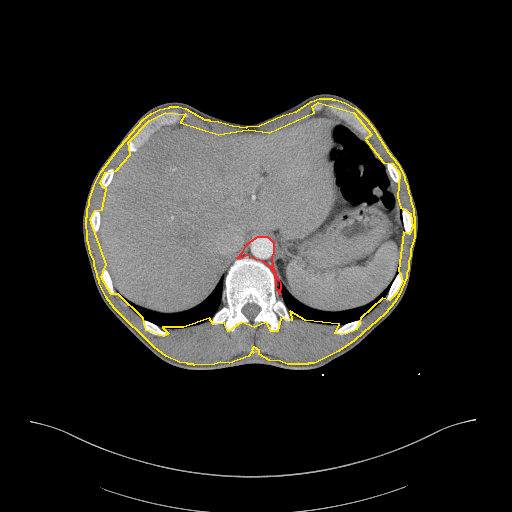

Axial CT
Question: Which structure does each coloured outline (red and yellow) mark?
Answer: red: mediastinum; yellow: muscle.
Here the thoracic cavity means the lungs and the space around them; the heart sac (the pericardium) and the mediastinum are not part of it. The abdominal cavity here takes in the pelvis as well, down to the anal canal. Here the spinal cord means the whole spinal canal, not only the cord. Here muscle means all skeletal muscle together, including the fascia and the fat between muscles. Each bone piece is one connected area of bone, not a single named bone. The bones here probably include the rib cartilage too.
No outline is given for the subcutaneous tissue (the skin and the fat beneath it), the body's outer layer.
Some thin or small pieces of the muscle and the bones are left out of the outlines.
The mediastinum is outlined by 258,236 267,236 273,242 273,252 271,256 272,266 271,267 274,270 275,272 275,276 276,277 278,279 280,283 280,289 279,290 280,294 276,287 276,279 275,278 275,275 273,271 269,266 263,261 255,259 247,255 240,258 237,258 243,251 246,245 250,241. The muscle is outlined by 319,98 331,98 332,99 335,99 344,102 355,108 366,119 373,128 388,152 397,163 404,176 404,179 407,186 408,193 410,197 410,200 413,209 413,215 414,216 414,237 410,249 410,255 408,261 408,268 406,273 406,277 399,294 394,302 385,313 354,340 338,351 314,363 308,363 307,364 287,364 280,361 269,360 259,354 259,350 254,347 253,347 251,350 253,352 251,352 248,356 229,363 220,362 214,364 194,365 193,364 188,364 187,363 179,362 166,356 154,347 114,308 106,297 99,283 99,280 97,277 97,274 94,265 94,261 90,252 88,242 87,241 86,217 87,216 87,209 89,204 89,200 94,185 101,171 120,146 143,119 151,113 159,109 169,107 170,106 178,106 185,108 204,119 208,119 209,120 218,121 232,125 246,127 247,126 259,125 282,115 296,111 311,101, around a hole outlined by 318,102 353,112 371,134 365,139 383,162 392,163 399,173 397,197 400,207 410,213 412,227 409,234 403,232 398,270 402,281 396,293 389,300 382,298 360,318 356,329 345,334 335,333 339,324 305,320 290,311 291,320 280,318 277,331 271,331 266,322 254,327 241,322 228,331 224,323 213,324 209,318 183,327 162,327 168,333 163,336 146,330 143,318 118,294 111,294 101,277 106,264 90,219 95,210 102,209 106,189 100,183 105,172 116,170 130,154 128,142 149,120 165,112 185,114 180,122 218,134 248,129 269,132 314,112 312,106. The thoracic cavity appears in 2 outlined pieces: piece 1: 221,280 223,283 223,287 221,292 221,304 219,308 210,318 200,323 183,327 161,327 140,316 122,298 140,308 143,308 151,312 155,312 159,314 178,314 188,310 191,310 196,306 201,304 214,291 216,286; piece 2: 281,286 285,289 287,293 292,298 300,304 310,308 312,310 328,313 347,312 361,308 371,303 387,288 388,289 385,296 367,313 360,318 351,320 340,325 309,321 296,316 289,311 286,306 281,296 280,290. The spinal cord is outlined by 247,303 254,303 255,304 256,304 257,305 258,305 260,307 260,310 259,311 259,312 252,319 249,319 242,312 242,308. The abdominal cavity is outlined by 311,112 337,116 359,132 395,183 404,231 399,269 389,287 355,309 312,309 281,285 272,267 274,242 258,235 223,282 191,309 159,313 118,294 98,231 104,192 124,158 165,125 187,122 218,134 269,132. The torso is outlined by 319,93 337,94 359,106 407,174 418,213 418,233 409,282 401,301 355,347 316,369 288,370 244,364 188,370 163,361 108,309 94,283 83,242 82,214 97,170 136,120 158,104 179,101 214,116 252,122. The bones appear in 11 outlined pieces: piece 1: 246,256 263,262 274,275 276,296 281,297 291,318 290,321 280,318 277,331 271,331 266,322 259,322 254,327 241,322 234,326 233,331 228,331 224,323 210,321 226,303 222,300 222,292 228,269 237,259; inner edge: 247,303 254,303 255,304 256,304 257,305 258,305 260,307 260,310 259,311 259,312 252,319 249,319 242,312 242,308; piece 2: 169,111 176,111 182,115 183,114 185,114 185,116 183,116 179,121 175,123 165,124 160,126 156,129 135,151 129,152 127,149 128,142 136,134 136,133 149,120 154,118 160,114 162,114 165,112 168,112; piece 3: 318,102 321,102 325,105 327,104 337,104 343,107 345,109 353,112 368,128 371,134 371,136 369,138 366,138 359,131 344,119 337,115 331,113 325,108 323,108 319,111 315,111 313,110 312,109 312,106; piece 4: 398,271 400,271 402,273 402,281 401,282 401,284 400,285 398,290 396,292 396,293 389,300 386,300 385,297 386,296 386,295 388,292 388,290 389,289 389,288 390,287 390,286 391,285 396,274 398,272; piece 5: 358,319 361,319 362,320 362,322 361,324 356,329 355,329 353,331 351,331 345,334 337,334 335,333 335,331 340,326 346,323 348,323 351,321 353,321 354,320 357,320; piece 6: 142,319 145,319 146,320 147,320 148,321 159,326 164,331 166,331 168,333 168,334 167,335 164,335 163,336 162,336 161,335 155,335 154,334 149,332 147,330 146,330 143,326 143,325 142,324; piece 7: 403,207 406,208 408,210 412,218 412,227 411,228 411,230 409,234 406,234 405,232 405,230 404,229 404,227 403,226 403,222 402,221 402,215 401,214 401,209; piece 8: 104,267 107,269 107,270 109,273 109,275 111,278 111,281 112,282 113,287 114,288 115,291 117,293 117,294 116,295 113,295 110,293 110,292 106,288 106,287 102,280 102,278 101,277 101,269; piece 9: 387,162 390,162 391,163 392,163 395,166 395,167 397,169 397,170 399,173 399,175 400,176 400,181 398,183 397,183 396,182 395,182 394,181 393,181 389,176 389,175 388,174 388,172 386,169 386,163; piece 10: 97,209 98,210 99,210 100,211 100,223 99,224 99,228 98,229 98,230 97,231 97,232 94,232 91,229 91,226 90,225 90,219 91,218 91,216 92,215 92,214 93,213 93,212 95,210 96,210; piece 11: 110,168 113,168 114,169 114,173 113,174 113,177 112,178 110,183 107,186 107,187 106,187 105,188 102,188 100,186 100,183 101,182 101,179 102,178 103,175 105,173 105,172 108,169 109,169.